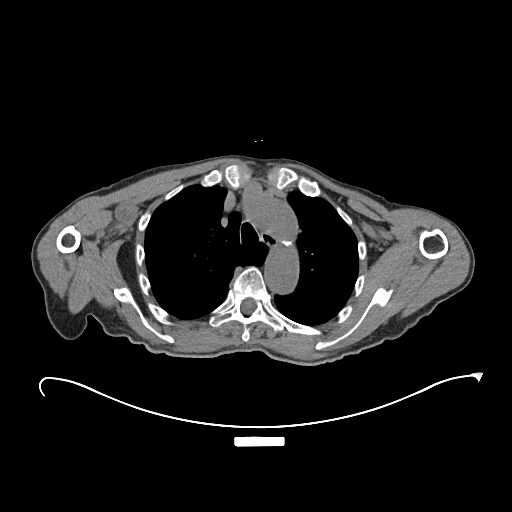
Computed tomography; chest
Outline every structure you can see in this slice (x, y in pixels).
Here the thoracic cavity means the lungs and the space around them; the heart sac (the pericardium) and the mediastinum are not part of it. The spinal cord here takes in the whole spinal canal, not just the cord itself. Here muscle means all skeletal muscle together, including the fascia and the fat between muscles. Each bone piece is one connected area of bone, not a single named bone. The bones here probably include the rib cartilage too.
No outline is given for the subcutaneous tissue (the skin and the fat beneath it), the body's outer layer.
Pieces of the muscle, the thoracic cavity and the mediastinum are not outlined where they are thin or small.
{"bones":[{"outer":[[249,266],[255,266],[261,272],[271,302],[279,312],[297,323],[318,328],[321,334],[307,335],[290,332],[286,328],[275,331],[268,324],[255,321],[249,325],[249,339],[243,341],[244,328],[237,320],[211,326],[208,322],[210,312],[225,300],[233,278]],"hole":[[247,298],[251,298],[252,299],[253,299],[255,302],[255,304],[256,305],[256,306],[255,307],[255,308],[254,309],[254,310],[250,314],[249,314],[248,315],[245,315],[241,311],[241,304],[242,303],[242,302],[243,301],[243,300],[244,300]]},[[279,167],[287,167],[296,171],[300,175],[302,175],[312,181],[315,181],[318,184],[321,192],[321,196],[309,196],[304,194],[297,187],[297,182],[296,181],[291,182],[282,189],[276,188],[274,183],[268,180],[267,178],[267,171],[272,168],[278,168]],[[230,164],[238,164],[239,165],[245,164],[253,170],[251,174],[251,177],[248,180],[245,181],[239,187],[234,188],[224,179],[223,179],[222,181],[212,186],[203,186],[199,183],[200,180],[210,171],[214,169],[219,169],[220,170],[222,170],[226,166]],[[434,228],[438,228],[440,229],[445,234],[447,238],[447,241],[448,242],[448,248],[446,253],[441,257],[439,258],[436,258],[435,259],[430,259],[425,257],[420,252],[418,247],[418,239],[419,238],[419,234],[422,230],[431,230]],[[379,287],[383,287],[387,290],[391,288],[393,289],[389,299],[384,306],[380,306],[377,304],[373,305],[369,309],[360,324],[345,338],[322,349],[318,350],[315,348],[315,345],[318,341],[332,340],[351,328],[360,318],[364,310],[370,302],[374,293]],[[124,286],[126,286],[130,290],[133,298],[148,323],[157,331],[163,334],[170,335],[174,339],[174,341],[172,343],[169,343],[158,337],[153,332],[148,329],[142,323],[137,311],[130,303],[121,302],[115,297],[113,292],[114,288],[123,287]],[[68,225],[73,225],[74,227],[79,231],[81,235],[81,237],[80,238],[80,242],[79,243],[79,246],[74,251],[72,251],[71,252],[68,252],[67,253],[62,253],[57,248],[56,246],[56,239],[60,231],[64,227]],[[147,302],[152,302],[158,305],[164,310],[165,310],[171,316],[173,317],[172,317],[170,319],[174,323],[174,324],[172,325],[168,325],[167,324],[164,324],[163,323],[161,323],[159,321],[158,321],[154,317],[154,316],[149,310],[146,304]],[[139,272],[142,272],[144,274],[145,274],[147,276],[147,278],[149,281],[149,283],[150,284],[150,290],[149,291],[149,294],[148,295],[145,295],[143,293],[143,292],[142,291],[142,290],[141,289],[141,288],[139,285],[139,283],[138,282],[138,273]],[[347,304],[350,304],[352,306],[352,311],[351,312],[351,313],[349,315],[349,316],[345,320],[344,320],[342,322],[341,322],[340,323],[337,323],[336,322],[337,321],[337,318],[336,317],[336,316],[337,315],[337,314]],[[146,210],[149,210],[149,211],[151,213],[151,215],[149,218],[149,220],[148,221],[148,223],[147,224],[147,225],[145,228],[145,230],[144,231],[140,231],[138,228],[138,221],[139,220],[139,219],[140,218],[140,217],[141,216],[141,215]],[[137,243],[140,243],[141,244],[142,244],[143,245],[143,249],[144,250],[144,261],[143,262],[143,263],[141,266],[140,266],[139,265],[138,265],[138,264],[136,261],[136,258],[135,257],[135,246]],[[361,274],[363,274],[364,275],[364,283],[363,284],[363,287],[362,288],[362,289],[361,290],[360,293],[357,296],[355,296],[355,295],[354,294],[354,286],[355,285],[355,282],[356,281],[356,280],[357,279],[358,276]],[[335,205],[338,205],[345,212],[346,212],[351,218],[351,219],[352,220],[352,228],[349,225],[348,225],[348,224],[347,223],[346,223],[346,222],[345,221],[344,221],[344,220],[340,216],[340,215],[338,213],[338,212],[336,210],[336,209],[334,206]],[[359,240],[363,240],[365,242],[365,243],[366,244],[366,254],[365,255],[365,256],[364,257],[364,258],[362,260],[361,260],[360,261],[359,260],[359,258],[358,257],[358,241]],[[180,184],[184,184],[185,185],[185,186],[181,190],[180,190],[176,194],[175,194],[172,197],[171,197],[169,199],[168,199],[167,200],[164,200],[164,197],[165,196],[165,195],[168,192],[169,192],[174,188],[175,188],[176,187],[177,187]]],"thoracic_cavity":[[[197,183],[203,187],[217,184],[225,188],[220,224],[226,227],[228,216],[233,212],[238,213],[239,243],[260,243],[267,251],[259,266],[237,265],[234,268],[224,300],[208,314],[181,319],[160,306],[151,291],[144,262],[144,239],[156,208],[185,187]],[[296,189],[309,197],[322,197],[331,204],[343,221],[352,229],[357,240],[358,275],[353,291],[335,317],[314,326],[289,318],[279,311],[272,302],[275,295],[291,294],[299,279],[300,261],[295,241],[301,232],[301,226],[287,199],[288,194]]],"spinal_cord":[[[247,298],[251,298],[252,299],[253,299],[255,302],[255,304],[256,305],[256,306],[255,307],[255,308],[254,309],[254,310],[250,314],[249,314],[248,315],[245,315],[241,311],[241,304],[242,303],[242,302],[243,301],[243,300],[244,300]]],"right_arm":[[[92,190],[95,190],[97,192],[97,203],[98,204],[96,278],[93,285],[90,314],[87,317],[87,325],[81,335],[76,339],[67,340],[64,339],[57,333],[47,318],[42,288],[33,273],[31,266],[30,253],[33,240],[44,224],[54,214],[72,200]]],"muscle":[{"outer":[[224,158],[237,158],[258,164],[298,164],[338,185],[356,190],[388,209],[411,208],[429,212],[447,221],[457,230],[469,254],[468,273],[458,286],[415,312],[401,318],[393,316],[357,342],[314,359],[292,357],[259,344],[230,345],[204,352],[178,351],[167,344],[154,344],[143,338],[113,310],[102,307],[94,300],[72,314],[66,302],[52,290],[43,276],[37,258],[38,243],[52,222],[84,198],[107,194],[162,171]],"holes":[[[230,164],[245,164],[253,170],[244,184],[261,182],[273,189],[267,171],[292,169],[315,181],[321,196],[351,218],[356,239],[366,244],[366,254],[358,262],[363,287],[357,296],[353,291],[349,296],[346,303],[352,311],[345,320],[337,323],[333,317],[315,325],[319,335],[286,328],[275,331],[255,321],[249,325],[249,339],[243,341],[244,328],[237,320],[214,327],[208,322],[208,314],[190,319],[174,316],[170,319],[174,324],[168,325],[151,313],[147,302],[158,303],[150,290],[148,295],[143,293],[138,273],[146,275],[146,265],[138,265],[135,257],[136,244],[143,245],[145,238],[145,232],[138,228],[141,215],[146,210],[152,213],[180,184],[196,184],[210,171]],[[434,228],[438,228],[440,229],[445,234],[447,238],[447,241],[448,242],[448,248],[446,253],[441,257],[439,258],[436,258],[435,259],[430,259],[425,257],[420,252],[418,247],[418,239],[419,238],[419,234],[422,230],[431,230]],[[379,287],[383,287],[387,290],[391,288],[393,289],[389,299],[384,306],[380,306],[377,304],[373,305],[369,309],[360,324],[345,338],[322,349],[318,350],[315,348],[315,345],[318,341],[332,340],[351,328],[360,318],[364,310],[370,302],[374,293]],[[124,286],[126,286],[130,290],[133,298],[148,323],[157,331],[163,334],[170,335],[174,339],[174,341],[172,343],[169,343],[158,337],[153,332],[148,329],[142,323],[137,311],[130,303],[121,302],[115,297],[113,292],[114,288],[123,287]],[[68,225],[73,225],[74,227],[79,231],[81,235],[81,237],[80,238],[80,242],[79,243],[79,246],[74,251],[72,251],[71,252],[68,252],[67,253],[62,253],[57,248],[56,246],[56,239],[60,231],[64,227]],[[127,242],[129,243],[131,242],[132,243],[132,247],[133,248],[132,249],[132,253],[133,254],[133,275],[132,276],[130,275],[128,275],[125,273],[125,272],[123,270],[120,264],[120,262],[118,258],[118,254],[119,252],[121,250],[122,247]]]}],"torso":[[[226,154],[295,159],[390,201],[411,204],[402,215],[398,230],[420,279],[440,303],[400,337],[318,365],[280,361],[261,351],[215,357],[175,357],[152,353],[142,344],[131,343],[123,336],[107,335],[90,315],[98,253],[99,204],[95,189],[151,167]]],"left_arm":[[[413,205],[421,206],[433,210],[451,219],[455,222],[460,227],[469,240],[474,252],[475,266],[474,267],[473,275],[470,282],[464,289],[442,302],[439,302],[434,298],[426,285],[421,279],[399,230],[400,222],[403,215],[405,212]]],"mediastinum":[[[221,182],[234,189],[248,182],[261,182],[278,190],[297,188],[286,196],[300,226],[294,241],[298,279],[291,293],[272,297],[268,291],[258,267],[268,248],[260,242],[240,243],[238,212],[227,216],[226,226],[221,224],[227,194],[227,189],[218,184]]]}